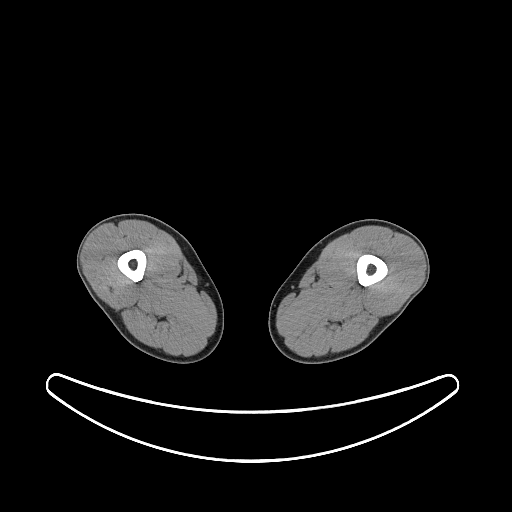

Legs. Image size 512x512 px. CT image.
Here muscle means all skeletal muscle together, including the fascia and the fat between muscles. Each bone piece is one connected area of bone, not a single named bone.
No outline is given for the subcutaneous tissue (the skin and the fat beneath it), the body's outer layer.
{"bones":[[[362,254],[372,254],[373,255],[375,255],[379,257],[385,262],[385,263],[387,265],[387,268],[388,269],[387,274],[380,281],[376,282],[369,286],[363,286],[361,285],[359,283],[358,279],[357,278],[357,272],[356,271],[356,263],[357,262],[358,258]],[[132,249],[140,249],[144,252],[146,256],[146,267],[144,271],[144,274],[143,275],[143,277],[141,280],[139,281],[137,281],[136,282],[131,280],[125,275],[124,275],[119,270],[117,266],[117,260],[119,256],[121,254],[129,250],[131,250]]],"left_leg":[[[367,218],[381,219],[395,223],[407,229],[419,238],[426,249],[430,266],[429,278],[425,287],[410,302],[399,317],[363,350],[351,356],[333,362],[321,364],[303,364],[287,358],[274,345],[268,330],[268,313],[274,294],[304,254],[317,241],[344,224]]],"right_leg":[[[124,213],[146,214],[155,217],[176,229],[192,245],[213,280],[223,304],[224,329],[222,337],[216,348],[202,360],[188,364],[171,363],[157,359],[140,351],[131,345],[119,333],[92,299],[84,286],[76,268],[76,254],[83,236],[94,224],[100,220]]],"muscle":[{"outer":[[364,225],[388,227],[407,235],[420,247],[426,264],[425,277],[422,284],[396,312],[383,317],[369,335],[358,345],[341,352],[329,353],[317,358],[303,357],[296,354],[281,340],[276,328],[275,315],[280,302],[285,293],[305,272],[327,243],[344,233]],"hole":[[362,254],[372,254],[373,255],[375,255],[379,257],[385,262],[385,263],[387,265],[387,268],[388,269],[387,274],[380,281],[376,282],[369,286],[363,286],[361,285],[359,283],[358,279],[357,278],[357,272],[356,271],[356,263],[357,262],[358,258]]},{"outer":[[122,219],[148,220],[173,236],[185,257],[202,280],[209,296],[215,305],[217,321],[216,329],[210,342],[198,353],[191,356],[171,356],[140,342],[127,330],[119,315],[97,296],[86,279],[80,263],[80,254],[85,240],[89,234],[100,225],[110,221]],"hole":[[132,249],[140,249],[144,252],[146,256],[146,267],[144,271],[144,274],[143,275],[143,277],[141,280],[139,281],[137,281],[136,282],[131,280],[125,275],[124,275],[119,270],[117,266],[117,260],[119,256],[121,254],[129,250],[131,250]]}]}